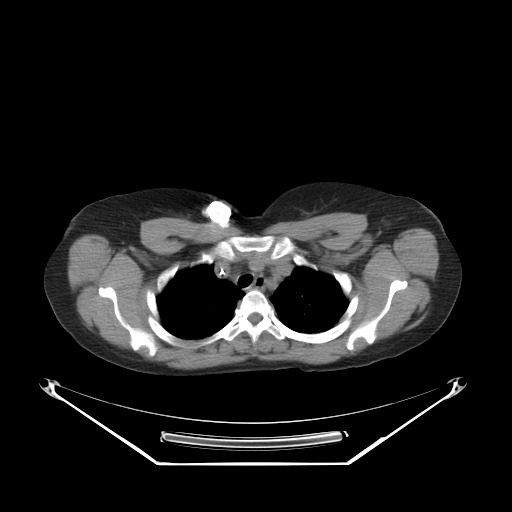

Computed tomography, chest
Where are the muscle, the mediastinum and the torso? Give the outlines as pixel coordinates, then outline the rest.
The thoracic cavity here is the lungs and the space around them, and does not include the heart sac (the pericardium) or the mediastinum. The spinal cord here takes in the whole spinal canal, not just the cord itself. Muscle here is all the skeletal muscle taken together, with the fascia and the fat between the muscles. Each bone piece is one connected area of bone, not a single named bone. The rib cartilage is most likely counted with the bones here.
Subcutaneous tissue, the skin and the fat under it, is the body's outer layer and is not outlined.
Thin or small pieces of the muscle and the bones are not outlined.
The muscle is outlined by (332, 212) (366, 214) (370, 235) (385, 244) (406, 229) (426, 228) (439, 252) (426, 318) (374, 343) (395, 293) (408, 286) (406, 279) (393, 279) (380, 311) (348, 334) (349, 351) (359, 338) (369, 345) (355, 355) (322, 364) (249, 358) (178, 369) (136, 352) (145, 347) (154, 356) (154, 336) (172, 346) (193, 340) (205, 346) (242, 332) (253, 345) (264, 331) (309, 344) (344, 333) (359, 303) (356, 293) (348, 298) (348, 273) (320, 270) (287, 235) (230, 236) (188, 267) (176, 262) (165, 268) (156, 278) (159, 293) (145, 291) (151, 332) (132, 326) (115, 289) (100, 285) (97, 293) (111, 300) (132, 350) (87, 329) (77, 313) (67, 258) (81, 235) (101, 235) (118, 250) (137, 240) (141, 221) (158, 217) (258, 233). The mediastinum is outlined by (248, 252) (264, 253) (268, 256) (269, 255) (269, 258) (272, 260) (288, 255) (290, 257) (291, 256) (296, 265) (291, 273) (278, 285) (269, 299) (263, 292) (255, 288) (244, 292) (226, 279) (218, 278) (214, 273) (212, 263) (216, 257) (233, 261) (236, 258) (236, 255). The torso is outlined by (319, 180) (410, 196) (441, 221) (460, 258) (462, 280) (447, 319) (424, 343) (395, 357) (336, 371) (286, 368) (164, 376) (129, 370) (95, 356) (55, 317) (44, 292) (43, 270) (70, 219) (85, 205) (114, 194) (176, 186) (213, 193) (245, 215) (258, 215) (283, 191). The bones appear in 6 outlined pieces: piece 1: (254, 289) (264, 294) (282, 323) (303, 333) (331, 328) (354, 295) (358, 295) (358, 303) (349, 327) (326, 342) (309, 343) (288, 337) (277, 339) (264, 330) (254, 344) (247, 332) (242, 331) (230, 341) (220, 338) (197, 345) (197, 340) (228, 323) (238, 302) (246, 292), around a hole outlined by (252, 313) (257, 313) (258, 314) (259, 314) (261, 316) (261, 319) (257, 323) (256, 323) (255, 324) (253, 324) (248, 319) (248, 317) (249, 316) (249, 315) (250, 315); piece 2: (265, 235) (273, 235) (277, 239) (287, 236) (295, 244) (295, 251) (315, 264) (318, 270) (305, 265) (297, 265) (290, 254) (272, 259) (270, 250) (264, 252) (236, 250) (233, 260) (216, 256) (210, 264) (200, 263) (191, 266) (202, 252) (207, 252) (221, 240) (234, 236); piece 3: (100, 286) (112, 287) (123, 318) (132, 327) (149, 333) (152, 330) (147, 318) (151, 312) (146, 291) (152, 290) (159, 322) (173, 335) (192, 340) (172, 345) (154, 335) (157, 346) (154, 355) (148, 355) (145, 346) (134, 351) (129, 332) (115, 315) (112, 300) (99, 295); piece 4: (395, 279) (406, 280) (407, 286) (403, 289) (397, 290) (394, 293) (387, 312) (380, 319) (376, 326) (376, 337) (373, 343) (368, 344) (362, 337) (359, 337) (353, 343) (354, 349) (349, 350) (346, 347) (349, 334) (362, 322) (372, 319) (381, 311) (388, 296) (390, 283); piece 5: (176, 263) (179, 263) (179, 268) (178, 270) (176, 272) (174, 276) (172, 277) (168, 281) (168, 282) (163, 288) (163, 289) (160, 292) (158, 292) (157, 290) (157, 278) (158, 276) (160, 274) (160, 273) (161, 273) (165, 269) (167, 268) (169, 268) (171, 266) (172, 266); piece 6: (333, 270) (337, 270) (338, 271) (341, 271) (342, 272) (345, 272) (347, 273) (351, 281) (351, 290) (347, 297) (345, 296) (345, 295) (343, 293) (342, 291) (342, 289) (339, 283) (336, 280) (336, 279) (332, 274) (332, 271). The spinal cord is outlined by (252, 313) (257, 313) (258, 314) (259, 314) (261, 316) (261, 319) (257, 323) (256, 323) (255, 324) (253, 324) (248, 319) (248, 317) (249, 316) (249, 315) (250, 315). The thoracic cavity appears in 2 outlined pieces: piece 1: (200, 264) (208, 264) (209, 265) (211, 264) (213, 273) (218, 279) (226, 280) (241, 290) (244, 294) (237, 302) (237, 304) (234, 308) (232, 317) (222, 327) (213, 333) (198, 339) (184, 339) (170, 332) (161, 323) (160, 313) (157, 304) (157, 296) (179, 270) (193, 267); piece 2: (297, 266) (305, 266) (311, 268) (315, 271) (319, 270) (332, 275) (338, 283) (342, 293) (348, 299) (347, 306) (338, 321) (334, 325) (325, 330) (317, 332) (303, 332) (289, 327) (279, 319) (276, 314) (276, 310) (274, 306) (269, 300) (279, 285) (292, 273) (293, 270).